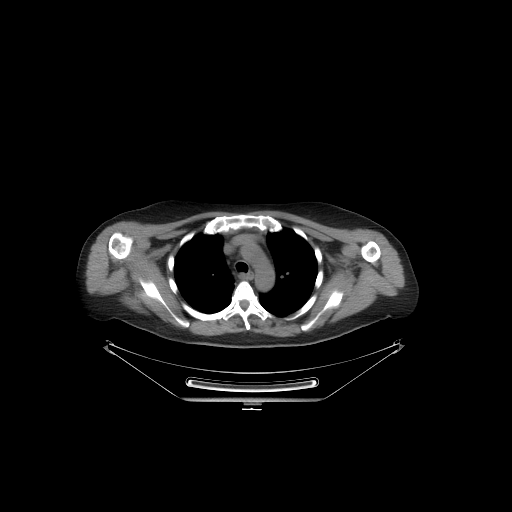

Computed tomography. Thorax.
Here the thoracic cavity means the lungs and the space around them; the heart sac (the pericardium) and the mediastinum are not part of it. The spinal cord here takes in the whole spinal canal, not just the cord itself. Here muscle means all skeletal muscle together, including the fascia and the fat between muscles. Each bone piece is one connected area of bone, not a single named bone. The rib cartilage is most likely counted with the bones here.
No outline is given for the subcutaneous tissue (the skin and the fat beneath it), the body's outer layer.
Outlines:
torso: 166,199 227,203 278,203 316,200 364,215 356,230 354,256 368,290 377,305 389,318 339,337 310,345 257,348 219,347 174,342 133,327 118,319 113,319 133,283 143,250 143,239 137,223 130,216 121,212
mediastinum: 254,227 261,231 268,231 265,240 273,258 275,272 275,281 273,287 269,291 265,293 261,292 258,295 256,294 251,284 245,279 240,280 235,285 234,278 226,263 223,252 223,238 219,233 226,233 231,230
left arm: 365,216 387,228 403,244 409,256 412,267 414,270 419,285 419,299 415,310 408,317 392,319 382,310 375,300 372,293 369,290 364,279 363,274 357,263 355,256 355,244 357,239 357,230 361,220
muscle: 256,210 278,210 330,227 366,228 382,233 397,251 403,266 405,285 399,296 381,297 334,323 280,337 250,331 194,334 132,310 113,296 91,295 84,289 90,247 107,226 124,220 159,224 208,211 228,211 239,213 217,215 207,220 200,232 192,229 181,237 177,253 169,254 166,260 168,270 173,272 173,277 167,279 169,288 184,299 181,307 201,321 227,321 238,315 248,331 250,315 263,321 276,316 286,321 295,320 317,299 317,294 312,292 320,287 324,278 324,271 318,269 322,252 318,246 310,245 308,236 297,225 285,227 269,214 244,213 with holes at 114,232 120,232 124,235 126,235 127,236 130,236 132,237 133,239 133,242 132,243 131,250 129,254 125,258 118,259 114,257 109,252 109,250 108,249 108,242 109,241 109,238 110,236 and at 139,279 142,279 145,281 152,281 156,286 160,295 169,308 179,318 183,320 187,320 189,322 189,325 188,327 183,327 180,324 179,324 166,309 166,308 158,300 147,296 145,294 145,292 142,286 140,284 and at 334,290 341,291 343,293 343,295 339,305 336,307 328,308 320,315 316,321 306,331 303,331 301,329 301,325 302,324 307,323 310,320 311,320 317,314 317,313 322,309 326,303 328,298 330,296 331,293 and at 370,240 372,240 374,241 378,245 380,249 380,255 379,256 379,258 373,263 371,262 369,262 365,260 362,257 361,255 361,247 362,245 365,244 368,241
thoracic cavity 1: 201,232 206,235 219,234 221,236 222,252 225,259 225,263 233,278 234,284 234,288 232,291 229,303 222,309 211,313 199,311 189,305 179,291 174,278 174,263 175,257 178,251 186,242 189,241 196,234
thoracic cavity 2: 283,227 291,229 307,241 313,249 317,263 317,272 313,289 306,301 288,315 277,316 267,310 260,303 258,296 261,293 265,294 269,292 274,287 276,281 274,258 268,246 266,237 269,232 279,232 283,229
right arm: 119,213 124,214 130,217 136,223 142,239 142,250 139,259 138,267 134,275 132,283 114,317 110,320 99,321 85,315 74,305 72,299 72,295 74,292 74,286 75,285 76,265 81,247 88,235 103,221
bones 1: 242,280 250,284 258,297 259,303 275,316 263,320 255,314 250,314 247,318 250,325 248,330 238,314 231,316 227,320 222,318 201,320 191,316 182,307 182,302 185,302 202,313 218,312 230,303 235,286, around a hole outlined by 243,300 244,300 245,300 246,301 247,301 248,302 248,303 248,304 248,305 247,306 247,307 246,308 245,309 244,309 243,309 242,308 241,307 241,306 240,305 240,304 240,303 240,302 241,301 242,301
bones 2: 240,213 251,215 269,215 278,220 281,223 282,229 279,231 271,232 268,230 261,230 254,226 253,227 242,227 238,229 231,229 226,232 219,232 214,234 203,233 202,231 207,221 217,216 223,215 229,216
bones 3: 114,232 120,232 124,235 126,235 127,236 130,236 132,237 133,239 133,242 132,243 131,250 129,254 125,258 118,259 114,257 109,252 109,250 108,249 108,242 109,241 109,238 110,236
bones 4: 139,279 142,279 145,281 152,281 156,286 160,295 169,308 179,318 183,320 187,320 189,322 189,325 188,327 183,327 180,324 179,324 166,309 166,308 158,300 147,296 145,294 145,292 142,286 140,284
bones 5: 334,290 341,291 343,293 343,295 339,305 336,307 328,308 320,315 316,321 306,331 303,331 301,329 301,325 302,324 307,323 310,320 311,320 317,314 317,313 322,309 326,303 328,298 330,296 331,293
bones 6: 370,240 372,240 374,241 378,245 380,249 380,255 379,256 379,258 373,263 371,262 369,262 365,260 362,257 361,255 361,247 362,245 365,244 368,241
bones 7: 313,294 316,294 316,299 311,306 311,307 305,313 297,317 295,319 293,319 292,320 286,320 284,319 284,317 286,316 288,316 290,314 295,312 298,309 299,309 307,301 307,300 311,296 311,295
bones 8: 192,230 194,230 195,231 195,234 189,240 188,240 187,241 186,241 180,247 179,246 179,242 180,241 180,240 182,238 182,237 184,235 185,235 187,233 188,233 190,231 191,231
bones 9: 318,270 322,270 323,271 323,278 322,279 322,281 321,282 321,284 319,286 319,287 318,288 315,288 314,287 314,285 315,284 315,280 316,279 316,277 317,276 317,273 318,272
bones 10: 170,277 172,277 174,279 174,281 175,282 175,283 176,284 176,285 177,286 177,288 178,289 178,292 177,293 174,293 172,291 172,290 170,288 170,286 169,285 169,282 168,281 168,279
bones 11: 292,226 297,226 300,229 301,229 305,233 305,234 307,236 307,237 308,238 308,239 307,240 306,240 304,238 303,238 300,235 299,235 297,233 296,233 292,229
bones 12: 171,254 172,255 173,255 173,256 174,257 174,262 173,263 173,271 170,271 169,270 169,269 168,268 168,265 167,264 167,260 168,259 168,256 169,255 170,255
bones 13: 316,246 317,247 318,247 319,248 319,249 320,250 320,251 321,252 321,255 322,256 322,260 321,261 321,262 319,264 318,264 318,263 317,262 317,259 316,258 316,256 315,255 315,253 314,252 314,248
spinal cord: 243,300 244,300 245,300 246,301 247,301 248,302 248,303 248,304 248,305 247,306 247,307 246,308 245,309 244,309 243,309 242,308 241,307 241,306 240,305 240,304 240,303 240,302 241,301 242,301